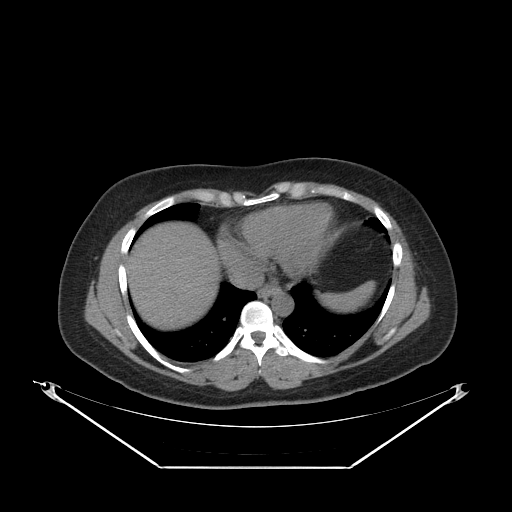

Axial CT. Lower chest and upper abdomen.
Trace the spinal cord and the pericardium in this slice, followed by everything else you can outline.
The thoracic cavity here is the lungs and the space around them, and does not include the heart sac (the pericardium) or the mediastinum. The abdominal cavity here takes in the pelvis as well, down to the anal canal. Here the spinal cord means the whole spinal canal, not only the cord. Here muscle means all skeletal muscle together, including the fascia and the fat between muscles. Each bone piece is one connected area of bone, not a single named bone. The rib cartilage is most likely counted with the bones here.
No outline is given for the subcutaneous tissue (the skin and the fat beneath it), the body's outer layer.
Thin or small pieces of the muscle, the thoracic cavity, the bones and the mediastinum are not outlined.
{"spinal_cord":[[[256,331],[260,331],[261,332],[263,332],[264,333],[264,338],[262,340],[262,341],[261,342],[261,343],[260,344],[257,344],[256,343],[255,343],[255,341],[253,339],[253,338],[252,337],[252,333],[253,332],[255,332]]],"pericardium":[[[306,199],[323,199],[335,202],[341,208],[346,219],[346,223],[342,224],[332,233],[322,250],[317,253],[309,277],[296,282],[277,283],[259,270],[243,265],[229,265],[220,261],[215,245],[216,234],[220,221],[226,215],[241,209],[267,204],[268,202]]],"bones":[{"outer":[[254,300],[261,301],[270,308],[273,321],[282,328],[296,346],[311,355],[329,361],[324,364],[307,362],[290,354],[281,356],[273,348],[269,348],[263,355],[259,366],[251,350],[238,346],[223,358],[214,361],[212,358],[227,344],[239,324],[242,308]],"hole":[[256,331],[260,331],[261,332],[263,332],[264,333],[264,338],[262,340],[262,341],[261,342],[261,343],[260,344],[257,344],[256,343],[255,343],[255,341],[253,339],[253,338],[252,337],[252,333],[253,332],[255,332]]},[[282,182],[335,187],[347,191],[360,204],[325,194],[291,198],[287,193],[282,193],[278,198],[267,202],[223,207],[216,202],[205,203],[191,196],[194,191],[206,190],[215,194],[222,191],[232,194],[237,191],[248,198],[255,198],[271,192]],[[127,314],[131,314],[133,316],[136,322],[136,324],[142,334],[150,344],[166,360],[175,365],[181,366],[182,367],[186,367],[191,369],[191,370],[189,372],[183,372],[181,373],[163,365],[155,359],[142,346],[133,333],[128,324],[126,318],[126,315]],[[171,195],[173,195],[175,197],[176,199],[176,203],[162,210],[160,210],[156,212],[154,214],[148,217],[144,221],[143,220],[143,215],[151,207],[152,207],[156,203],[157,203],[163,198],[167,196],[170,196]],[[392,283],[394,283],[395,284],[395,290],[394,291],[393,297],[391,300],[391,302],[382,318],[379,321],[379,322],[375,326],[373,327],[373,325],[375,321],[377,319],[378,316],[381,312],[381,310],[384,304],[385,299],[387,296],[389,288]],[[120,264],[122,264],[125,267],[125,273],[126,274],[126,281],[127,282],[127,297],[124,297],[122,295],[122,293],[121,292],[121,290],[120,289],[120,286],[119,285],[119,278],[118,277],[118,268],[119,267],[119,265]],[[132,227],[134,227],[136,229],[136,232],[135,233],[135,234],[132,239],[132,241],[129,246],[129,248],[127,251],[127,253],[126,254],[122,254],[121,253],[121,243],[122,242],[122,240],[123,239],[125,234],[127,232],[127,231],[130,228],[131,228]],[[373,205],[377,205],[379,207],[380,207],[387,215],[387,216],[389,219],[389,221],[391,224],[391,229],[390,230],[387,230],[386,229],[386,228],[379,220],[379,219],[374,214],[374,213],[373,212],[373,210],[372,209],[372,207],[373,206]],[[396,241],[398,241],[400,243],[400,244],[401,245],[401,246],[402,247],[402,256],[401,257],[401,261],[400,262],[400,264],[398,266],[397,266],[396,267],[395,267],[393,265],[393,261],[392,260],[392,245]],[[394,327],[395,328],[395,331],[394,332],[394,333],[389,338],[388,338],[387,339],[386,339],[385,340],[383,338],[384,337],[384,336],[388,332],[388,331],[391,328],[393,328]]],"abdominal_cavity":[[[166,220],[195,220],[199,223],[201,227],[211,236],[219,258],[219,263],[223,269],[223,281],[219,285],[217,297],[211,308],[199,321],[189,327],[175,331],[160,331],[154,329],[140,318],[130,295],[128,294],[126,273],[128,251],[139,236],[150,226]],[[358,220],[365,220],[364,223],[366,225],[383,234],[384,238],[388,242],[390,241],[393,266],[391,270],[391,279],[387,282],[377,300],[367,309],[353,314],[334,314],[324,309],[316,301],[310,285],[311,271],[318,253],[323,250],[333,233],[342,225]]],"torso":[[[313,156],[351,160],[376,167],[409,188],[427,212],[448,254],[458,297],[453,337],[434,361],[385,385],[329,401],[207,410],[170,404],[130,391],[96,371],[68,349],[57,323],[60,273],[79,226],[110,185],[131,173],[160,166],[189,163],[254,165]]],"mediastinum":[[[220,262],[229,266],[243,266],[259,271],[272,282],[277,284],[296,283],[306,278],[309,278],[309,283],[303,280],[290,289],[294,308],[280,325],[274,321],[271,308],[263,301],[256,299],[257,295],[254,291],[239,288],[224,280],[224,269]],[[194,201],[199,201],[206,205],[209,205],[214,207],[222,207],[223,208],[231,208],[235,206],[248,207],[241,208],[230,213],[228,213],[219,221],[218,227],[215,234],[214,245],[214,240],[212,239],[212,236],[195,219],[200,208],[200,205],[198,202]],[[282,194],[287,195],[288,196],[291,199],[300,199],[301,198],[307,196],[315,196],[316,195],[332,196],[355,204],[358,204],[374,215],[366,219],[358,219],[347,222],[347,219],[344,215],[344,212],[342,208],[335,201],[323,198],[305,199],[278,199],[275,201],[272,201],[278,199]]],"thoracic_cavity":[[[224,281],[239,289],[254,292],[256,298],[248,301],[241,308],[238,324],[226,344],[212,357],[193,363],[179,363],[162,355],[139,328],[128,299],[129,295],[135,311],[146,325],[160,332],[175,332],[189,328],[208,313],[214,305],[220,291],[220,285]],[[390,280],[391,283],[380,312],[373,324],[357,341],[337,354],[327,357],[320,357],[311,354],[296,345],[281,326],[283,321],[294,311],[295,308],[291,289],[303,281],[309,284],[315,301],[324,310],[334,315],[345,316],[360,313],[373,306]],[[184,202],[195,202],[196,203],[198,203],[199,208],[194,219],[166,219],[162,221],[158,221],[147,227],[138,236],[131,247],[130,247],[133,241],[133,239],[137,232],[137,230],[148,218],[154,215],[156,213],[160,211],[162,211],[175,204],[183,203]],[[374,216],[375,216],[378,219],[378,220],[387,231],[387,233],[389,236],[389,241],[388,241],[385,238],[384,236],[384,234],[383,233],[374,229],[373,227],[365,223],[365,221],[367,219],[371,217],[373,217]]],"muscle":[{"outer":[[280,181],[315,181],[338,185],[373,199],[392,216],[412,252],[416,263],[417,284],[427,287],[431,305],[429,317],[401,340],[373,359],[316,377],[296,387],[274,389],[260,377],[242,389],[220,391],[190,384],[136,363],[84,319],[83,311],[89,286],[92,279],[98,277],[100,261],[107,244],[137,211],[159,200],[142,215],[143,222],[137,229],[132,226],[124,234],[120,243],[120,253],[126,255],[125,266],[120,263],[117,268],[121,295],[127,298],[132,312],[125,315],[127,324],[141,346],[155,360],[178,373],[189,373],[191,368],[175,364],[164,357],[179,364],[193,364],[210,358],[217,362],[238,347],[251,351],[259,367],[269,349],[273,349],[281,357],[290,355],[307,363],[327,364],[330,361],[325,358],[351,347],[385,315],[396,290],[396,284],[392,282],[392,270],[401,264],[403,247],[398,240],[391,243],[388,231],[392,229],[392,224],[380,206],[373,204],[372,213],[362,206],[354,195],[335,186],[322,183],[308,185],[303,181],[293,183],[282,181],[263,195],[248,197],[235,190],[259,193]],"hole":[[394,327],[395,328],[395,331],[394,332],[394,333],[389,338],[388,338],[387,339],[386,339],[385,340],[383,338],[384,337],[384,336],[388,332],[388,331],[391,328],[393,328]]},[[195,188],[212,188],[213,189],[222,190],[218,193],[215,193],[206,189],[197,189],[192,191],[190,193],[190,196],[195,200],[193,201],[184,201],[183,202],[178,202],[177,203],[177,199],[176,197],[172,194],[184,190],[189,190]]]}